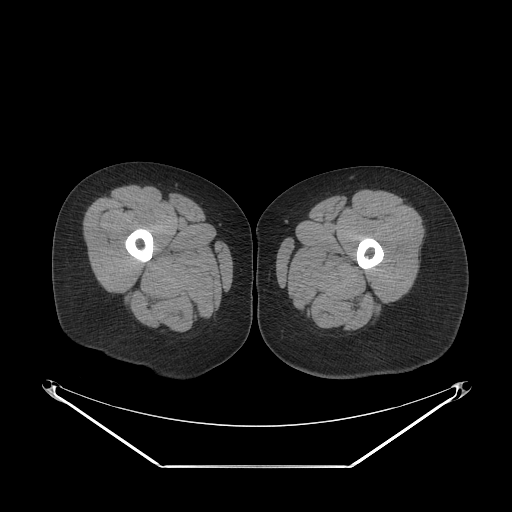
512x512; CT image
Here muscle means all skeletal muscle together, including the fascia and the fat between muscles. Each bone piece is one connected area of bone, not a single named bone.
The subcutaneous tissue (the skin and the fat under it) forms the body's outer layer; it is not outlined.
Outlines (x, y in pixels):
right leg: [[135,160],[169,164],[208,179],[237,202],[251,228],[255,283],[252,287],[252,322],[249,334],[231,357],[192,379],[161,377],[144,366],[116,360],[97,350],[81,346],[65,335],[57,319],[51,279],[51,248],[59,209],[70,190],[90,173],[111,164]]
muscle 1: [[123,184],[150,184],[181,193],[191,198],[203,209],[206,220],[215,227],[218,236],[229,247],[233,261],[231,288],[223,296],[215,319],[194,336],[176,339],[148,331],[131,317],[119,301],[104,290],[92,272],[82,234],[84,213],[88,206],[102,192]]; inner edge: [[138,228],[145,228],[149,230],[153,237],[153,246],[154,247],[153,249],[153,253],[152,254],[151,258],[149,260],[145,262],[142,262],[136,259],[134,257],[133,257],[127,251],[125,247],[125,245],[124,244],[124,242],[126,239],[126,237],[132,231]]
muscle 2: [[364,188],[386,190],[403,197],[421,216],[425,227],[425,236],[421,248],[419,271],[409,292],[384,311],[375,325],[368,330],[350,337],[335,338],[321,336],[309,329],[295,315],[282,294],[275,274],[276,253],[282,240],[316,203],[335,194],[352,194]] with a hole at [[364,237],[371,237],[372,238],[375,239],[381,245],[381,246],[383,249],[383,251],[384,252],[383,259],[377,265],[376,265],[369,269],[364,269],[363,268],[360,267],[357,263],[357,261],[356,260],[356,250],[357,249],[357,246],[358,245],[359,242]]
bones 1: [[138,228],[145,228],[149,230],[153,237],[153,246],[154,247],[153,249],[153,253],[152,254],[151,258],[149,260],[145,262],[142,262],[136,259],[134,257],[133,257],[127,251],[125,247],[125,245],[124,244],[124,242],[126,239],[126,237],[132,231]]
bones 2: [[364,237],[371,237],[372,238],[375,239],[381,245],[381,246],[383,249],[383,251],[384,252],[383,259],[377,265],[376,265],[369,269],[364,269],[363,268],[360,267],[357,263],[357,261],[356,260],[356,250],[357,249],[357,246],[358,245],[359,242]]
left leg: [[358,165],[383,165],[401,169],[422,179],[440,194],[452,211],[462,235],[468,261],[468,292],[464,313],[455,340],[438,359],[402,373],[330,380],[312,376],[286,364],[269,349],[260,334],[257,324],[256,225],[264,209],[280,193],[295,183],[322,172]]